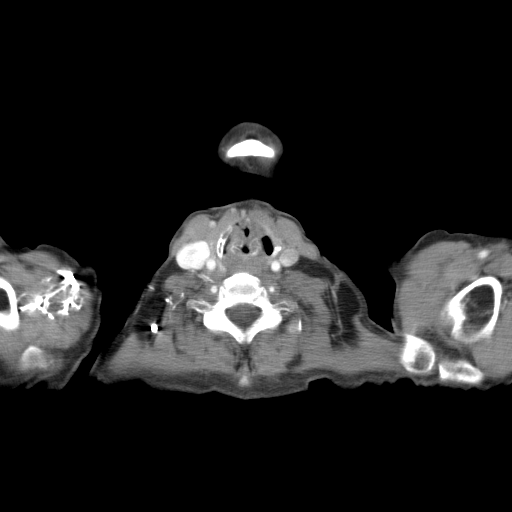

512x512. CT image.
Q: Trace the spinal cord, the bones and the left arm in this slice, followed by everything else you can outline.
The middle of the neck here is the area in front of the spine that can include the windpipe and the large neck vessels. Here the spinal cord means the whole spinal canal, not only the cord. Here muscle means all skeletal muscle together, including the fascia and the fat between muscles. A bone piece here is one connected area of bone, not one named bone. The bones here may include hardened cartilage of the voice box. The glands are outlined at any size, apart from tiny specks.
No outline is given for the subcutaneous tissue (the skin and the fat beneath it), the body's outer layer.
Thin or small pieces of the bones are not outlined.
A: {"spinal_cord":[[[239,304],[248,304],[249,305],[251,305],[252,306],[257,307],[260,310],[259,315],[246,328],[244,329],[243,329],[241,327],[237,325],[233,321],[232,321],[229,318],[229,317],[226,313],[226,310],[227,309],[229,308],[231,308]]],"bones":[{"outer":[[238,271],[246,271],[257,276],[260,283],[267,289],[271,301],[286,300],[290,309],[281,312],[283,321],[280,325],[274,329],[259,332],[250,343],[238,343],[227,332],[208,330],[202,323],[202,315],[187,304],[190,299],[213,301],[222,281]],"hole":[[239,304],[248,304],[249,305],[251,305],[252,306],[257,307],[260,310],[259,315],[246,328],[244,329],[243,329],[241,327],[237,325],[233,321],[232,321],[229,318],[229,317],[226,313],[226,310],[227,309],[229,308],[231,308]]},[[486,275],[491,275],[497,278],[500,281],[502,286],[502,294],[499,307],[499,313],[493,332],[489,338],[485,339],[479,343],[467,346],[458,345],[454,342],[450,336],[449,330],[442,325],[438,316],[438,312],[444,302],[461,288],[469,284],[477,278]],[[403,331],[406,331],[427,340],[434,348],[437,363],[441,361],[454,362],[460,359],[466,360],[482,372],[482,380],[475,384],[454,380],[440,380],[438,377],[438,368],[436,365],[428,372],[414,373],[406,370],[401,364],[398,356],[403,342]],[[0,276],[5,278],[11,284],[11,285],[15,290],[16,292],[16,295],[17,296],[17,308],[18,309],[18,311],[19,313],[21,315],[21,323],[20,324],[20,327],[17,330],[15,331],[12,331],[11,332],[7,332],[6,331],[4,331],[0,329]],[[245,141],[258,141],[260,142],[263,145],[269,148],[272,151],[273,153],[272,156],[268,157],[267,156],[256,156],[255,155],[240,155],[239,156],[234,156],[233,155],[231,156],[229,155],[228,151],[230,148],[233,147],[234,145],[236,144],[238,144]],[[29,344],[36,345],[40,347],[44,351],[44,357],[45,358],[45,362],[46,363],[46,365],[45,366],[43,366],[42,367],[41,366],[39,366],[34,368],[32,368],[31,367],[30,368],[25,368],[24,369],[20,366],[19,359],[20,358],[21,353]],[[238,219],[243,219],[236,226],[235,226],[230,230],[230,236],[229,238],[226,240],[224,244],[224,246],[223,247],[223,257],[222,257],[217,254],[217,252],[215,249],[215,244],[216,243],[216,241],[220,233],[223,231],[224,227],[230,225],[234,221]],[[256,220],[259,220],[266,226],[267,226],[270,229],[271,229],[280,240],[281,244],[282,245],[281,246],[281,249],[278,251],[276,255],[274,255],[273,256],[270,255],[273,251],[273,249],[274,248],[272,239],[268,231],[261,226],[260,226],[258,224]]],"left_arm":[[[437,228],[445,229],[449,232],[472,232],[486,235],[507,235],[511,237],[511,385],[499,385],[494,387],[481,369],[446,358],[418,335],[395,333],[394,331],[390,321],[390,313],[394,297],[395,283],[386,272],[386,260],[388,257],[399,256],[424,233]]],"muscle":[{"outer":[[251,203],[293,221],[319,257],[345,278],[366,316],[386,330],[392,328],[398,286],[405,276],[402,266],[410,254],[440,240],[464,240],[474,246],[507,243],[511,250],[511,374],[476,385],[424,385],[392,372],[353,377],[323,375],[306,382],[291,381],[284,375],[265,377],[250,389],[239,389],[215,374],[148,379],[102,370],[108,349],[130,325],[152,283],[172,266],[173,245],[186,223],[199,213],[214,214],[232,205]],"holes":[[[245,217],[262,222],[280,240],[281,251],[294,249],[298,258],[277,273],[255,274],[271,301],[286,300],[290,310],[281,312],[276,328],[238,343],[227,332],[208,330],[187,304],[213,301],[232,273],[180,268],[175,255],[196,239],[215,244],[224,227]],[[486,275],[491,275],[497,278],[500,281],[502,286],[502,294],[499,307],[499,313],[493,332],[489,338],[485,339],[479,343],[467,346],[458,345],[454,342],[450,336],[449,330],[442,325],[438,316],[438,312],[444,302],[461,288],[469,284],[477,278]],[[403,331],[406,331],[427,340],[434,348],[437,363],[441,361],[454,362],[460,359],[466,360],[482,372],[482,380],[475,384],[454,380],[440,380],[438,377],[438,368],[436,365],[428,372],[414,373],[406,370],[401,364],[398,356],[403,342]],[[298,319],[300,319],[302,321],[302,329],[299,332],[293,332],[292,333],[291,333],[290,332],[288,332],[286,330],[286,329],[285,328],[285,326],[286,325],[286,324],[287,323],[288,323],[289,322],[293,322],[294,323],[295,323],[297,321],[297,320]],[[243,375],[245,375],[247,377],[247,383],[246,384],[245,384],[244,385],[242,385],[241,384],[240,384],[239,383],[239,380],[240,379],[240,378]]]},{"outer":[[36,250],[56,255],[72,266],[87,282],[95,297],[94,319],[81,341],[69,350],[70,365],[62,373],[53,376],[36,373],[28,377],[16,377],[0,371],[0,330],[7,333],[15,332],[22,323],[17,292],[12,284],[0,275],[0,251],[19,254]],"hole":[[29,344],[36,345],[40,347],[44,351],[44,357],[45,358],[45,362],[46,363],[46,365],[45,366],[43,366],[42,367],[41,366],[39,366],[34,368],[32,368],[31,367],[30,368],[25,368],[24,369],[20,366],[19,359],[20,358],[21,353]]},{"outer":[[242,134],[256,134],[257,135],[262,136],[265,138],[267,138],[277,149],[277,153],[276,154],[276,156],[274,158],[274,160],[271,162],[264,164],[263,163],[259,163],[258,162],[239,162],[238,161],[229,160],[224,158],[224,152],[228,146],[236,137]],"hole":[[245,141],[258,141],[260,142],[263,145],[269,148],[272,151],[273,153],[272,156],[268,157],[267,156],[256,156],[255,155],[240,155],[239,156],[234,156],[233,155],[231,156],[229,155],[228,151],[230,148],[233,147],[234,145],[236,144],[238,144]]}],"torso":[[[168,251],[171,337],[195,368],[229,387],[268,390],[280,372],[333,350],[333,339],[347,325],[344,270],[375,322],[481,370],[493,388],[428,389],[407,379],[347,393],[321,378],[304,393],[256,400],[152,393],[140,383],[106,389],[87,380],[89,370]]],"thyroid_glands":[[[211,241],[212,241],[214,243],[214,249],[216,252],[216,259],[223,266],[224,268],[224,269],[222,270],[220,268],[218,264],[215,261],[215,258],[216,257],[214,255],[213,256],[211,254],[210,254],[210,246],[208,244],[208,243]]],"middle_of_the_neck":[[[245,217],[267,231],[273,246],[270,256],[281,250],[298,251],[298,258],[289,267],[277,273],[265,271],[255,275],[246,270],[190,270],[177,265],[176,253],[188,242],[200,239],[207,243],[209,254],[224,270],[217,255],[224,257],[231,230]]],"right_arm":[[[0,236],[14,247],[27,246],[33,248],[40,243],[58,246],[66,250],[79,262],[91,263],[96,270],[102,290],[102,315],[99,329],[91,350],[81,361],[71,379],[60,391],[44,391],[43,385],[40,383],[27,390],[17,388],[2,392],[0,391]]],"head_and_neck":[[[246,195],[260,196],[276,208],[297,218],[321,253],[343,269],[346,325],[340,337],[332,339],[332,350],[325,355],[280,371],[268,389],[227,385],[203,368],[195,367],[172,337],[171,253],[168,247],[174,232],[190,212],[200,208],[223,205]],[[242,121],[255,121],[269,127],[279,136],[283,142],[285,148],[285,153],[283,157],[283,160],[279,166],[279,169],[277,172],[277,175],[275,179],[266,179],[258,175],[242,171],[228,171],[218,161],[215,153],[215,149],[218,140],[224,132],[231,126]]]}